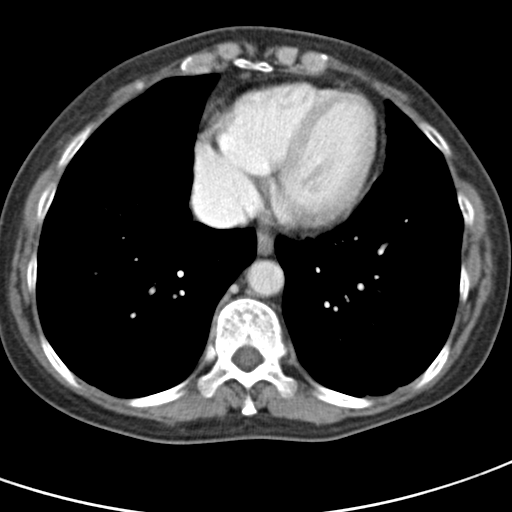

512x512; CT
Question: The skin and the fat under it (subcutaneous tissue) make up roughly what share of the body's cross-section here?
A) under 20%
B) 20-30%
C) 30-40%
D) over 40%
Answer: A) under 20%
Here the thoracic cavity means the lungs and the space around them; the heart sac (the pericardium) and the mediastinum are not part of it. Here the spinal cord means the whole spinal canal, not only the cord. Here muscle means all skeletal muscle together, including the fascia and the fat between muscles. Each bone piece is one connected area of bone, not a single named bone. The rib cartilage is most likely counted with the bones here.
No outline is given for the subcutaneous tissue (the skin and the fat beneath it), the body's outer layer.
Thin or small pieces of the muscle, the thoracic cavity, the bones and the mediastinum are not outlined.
The muscle appears in 3 outlined pieces: piece 1: 185 56; 178 66; 183 75; 160 79; 99 126; 90 123; 78 132; 57 161; 58 168; 65 168; 59 181; 50 181; 39 196; 35 218; 42 227; 38 247; 27 261; 25 278; 28 291; 35 293; 43 331; 38 338; 50 365; 72 387; 82 386; 77 376; 110 395; 128 398; 125 403; 134 408; 180 398; 201 358; 212 362; 196 379; 196 388; 204 398; 211 398; 231 379; 247 391; 266 381; 282 398; 289 398; 298 388; 297 380; 285 373; 280 361; 290 353; 289 342; 313 380; 313 394; 325 403; 364 409; 374 404; 366 396; 385 395; 411 382; 415 389; 421 388; 449 357; 452 339; 448 336; 458 300; 467 300; 471 285; 461 262; 461 244; 464 225; 474 223; 475 208; 461 190; 456 192; 444 157; 452 152; 447 141; 484 205; 493 289; 461 354; 430 389; 387 410; 331 424; 254 415; 258 410; 249 392; 240 409; 242 416; 190 424; 161 423; 92 402; 58 382; 34 357; 20 336; 7 298; 18 222; 30 189; 74 127; 120 87; inner edge: 138 81; 142 81; 144 83; 144 87; 143 88; 143 89; 142 90; 138 90; 137 89; 136 89; 135 88; 135 84; 136 83; 136 82; 137 82; piece 2: 227 40; 245 40; 255 45; 260 53; 267 47; 275 45; 303 47; 321 52; 317 53; 310 51; 301 56; 301 61; 298 66; 310 74; 302 74; 283 70; 274 71; 275 67; 266 60; 261 59; 254 61; 243 56; 238 56; 240 52; 238 44; 234 42; 222 43; 217 47; 216 53; 224 60; 232 59; 232 64; 230 63; 221 70; 212 70; 212 63; 215 58; 213 53; 189 54, around a hole outlined by 284 48; 290 48; 291 49; 295 49; 297 52; 296 53; 296 57; 295 58; 295 61; 294 63; 290 66; 288 65; 285 65; 281 63; 279 61; 277 57; 277 52; 279 50; 281 49; 283 49; piece 3: 328 55; 331 55; 346 64; 361 69; 368 75; 406 93; 411 99; 412 104; 433 125; 425 120; 416 120; 415 123; 391 100; 383 97; 375 89; 358 77; 355 77; 350 73; 343 72; 339 69; 333 68; 326 69; 329 59. The mediastinum appears in 2 outlined pieces: piece 1: 256 218; 260 218; 286 233; 317 234; 302 239; 280 235; 275 240; 275 255; 284 273; 281 303; 283 325; 273 308; 250 296; 231 299; 215 312; 219 301; 239 273; 254 259; 257 239; 255 231; 251 227; 216 229; 207 226; 242 227; piece 2: 230 64; 263 73; 283 71; 312 76; 328 69; 339 70; 365 82; 385 98; 385 161; 382 172; 368 190; 380 165; 384 128; 378 108; 350 81; 298 75; 244 82; 224 92; 212 104; 198 131; 206 97; 218 79; 217 74; 209 73. The spinal cord is outlined by 244 346; 250 346; 251 347; 254 348; 260 354; 260 355; 262 358; 262 360; 260 363; 259 363; 254 368; 253 368; 248 371; 245 371; 244 370; 243 370; 241 368; 240 368; 233 361; 233 356; 236 352; 236 351; 238 349; 239 349. The bones appear in 12 outlined pieces: piece 1: 239 297; 259 300; 277 314; 284 342; 289 347; 289 353; 279 361; 284 373; 297 382; 291 396; 282 397; 266 380; 257 381; 247 390; 231 378; 222 383; 211 397; 204 397; 198 390; 197 379; 213 364; 202 359; 213 316; 225 304, around a hole outlined by 244 346; 250 346; 251 347; 254 348; 260 354; 260 355; 262 358; 262 360; 260 363; 259 363; 254 368; 253 368; 248 371; 245 371; 244 370; 243 370; 241 368; 240 368; 233 361; 233 356; 236 352; 236 351; 238 349; 239 349; piece 2: 312 381; 315 381; 325 387; 345 394; 348 394; 357 397; 366 397; 369 399; 371 399; 373 401; 373 404; 368 407; 365 407; 364 408; 350 408; 349 407; 342 407; 325 402; 318 399; 314 394; 316 391; 316 389; 312 384; piece 3: 188 377; 189 377; 188 383; 182 388; 184 391; 184 393; 180 397; 172 401; 163 403; 159 405; 152 405; 145 407; 134 407; 133 406; 130 406; 126 403; 126 400; 129 398; 140 397; 141 396; 149 395; 165 390; 178 384; piece 4: 231 43; 238 45; 239 47; 239 52; 237 54; 238 57; 243 57; 254 62; 261 60; 266 61; 274 67; 273 71; 263 72; 259 70; 251 70; 240 68; 233 64; 232 58; 224 59; 220 57; 217 53; 218 47; 222 44; 230 44; piece 5: 40 332; 43 332; 44 335; 58 356; 76 376; 75 377; 75 379; 81 386; 80 387; 74 387; 69 384; 68 382; 64 378; 63 378; 51 365; 50 362; 45 355; 43 351; 43 349; 41 346; 41 343; 39 338; 39 334; piece 6: 449 337; 451 339; 450 350; 449 351; 448 357; 445 363; 443 365; 442 368; 439 371; 439 372; 427 383; 419 388; 415 388; 414 387; 414 383; 413 381; 416 378; 417 378; 432 362; 432 361; 436 357; 436 356; 442 348; 446 340; piece 7: 208 53; 211 53; 214 55; 214 58; 211 63; 211 71; 210 72; 209 72; 208 73; 202 73; 201 74; 185 74; 180 69; 179 66; 180 65; 181 62; 187 56; 188 56; 189 55; 192 55; 193 56; 197 56; 200 54; 207 54; piece 8: 90 124; 96 124; 97 125; 96 128; 85 140; 85 141; 82 144; 82 145; 79 148; 79 149; 75 153; 73 157; 69 161; 67 165; 65 167; 58 167; 57 165; 58 161; 62 153; 66 149; 67 146; 78 133; 79 133; 86 126; piece 9: 310 52; 312 53; 316 53; 317 54; 319 53; 325 53; 327 55; 328 59; 327 60; 326 67; 324 70; 315 74; 311 74; 299 66; 299 65; 301 64; 301 62; 302 61; 301 60; 302 59; 302 56; 304 54; 306 53; 309 53; piece 10: 416 121; 425 121; 429 124; 430 124; 432 126; 433 126; 439 132; 439 133; 443 137; 443 138; 448 144; 448 145; 449 146; 449 148; 451 151; 450 154; 447 156; 445 156; 442 153; 442 152; 435 145; 434 145; 434 144; 416 125; piece 11: 56 180; 58 181; 58 183; 57 184; 57 187; 56 188; 53 199; 45 215; 45 217; 43 220; 43 222; 41 223; 39 222; 36 218; 36 213; 37 212; 37 204; 38 203; 38 201; 45 187; 50 182; 52 181; 55 181; piece 12: 35 249; 36 249; 37 250; 37 275; 36 276; 36 284; 35 285; 35 292; 33 292; 32 291; 29 291; 29 290; 28 289; 28 287; 27 286; 27 279; 26 278; 26 273; 27 272; 27 264; 28 263; 28 261; 29 260; 33 251. The torso is outlined by 237 24; 311 31; 353 42; 384 56; 435 98; 489 174; 503 205; 511 238; 506 308; 481 368; 440 403; 329 441; 241 439; 168 444; 123 435; 73 418; 35 394; 11 366; 0 341; 0 212; 27 154; 64 107; 111 67; 170 41. The thoracic cavity appears in 2 outlined pieces: piece 1: 206 74; 215 74; 217 79; 205 97; 193 146; 193 181; 187 203; 191 220; 216 230; 253 229; 255 255; 218 301; 197 368; 165 389; 140 396; 116 396; 76 375; 44 333; 36 299; 38 248; 43 223; 66 167; 110 116; 160 80; piece 2: 387 99; 441 152; 450 174; 463 222; 458 299; 447 338; 435 357; 417 377; 385 394; 357 396; 314 380; 300 364; 293 345; 286 340; 282 309; 285 273; 276 255; 275 243; 280 236; 294 240; 314 237; 343 221; 360 203; 384 170. The pericardium is outlined by 298 76; 350 82; 357 86; 377 108; 383 128; 381 157; 373 179; 359 202; 343 220; 315 234; 286 232; 260 217; 256 217; 242 226; 213 226; 200 222; 194 213; 191 200; 194 181; 194 146; 206 114; 224 93; 236 86; 262 78.